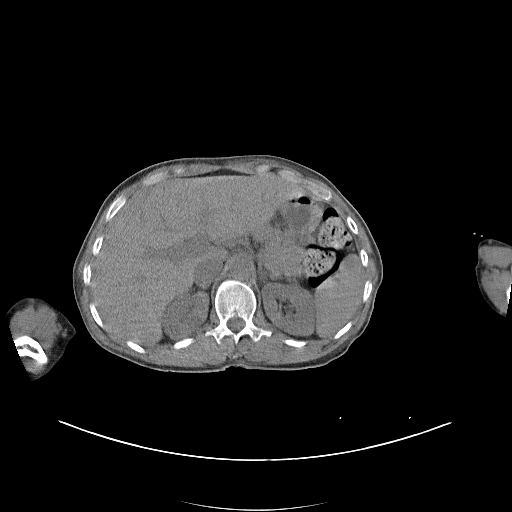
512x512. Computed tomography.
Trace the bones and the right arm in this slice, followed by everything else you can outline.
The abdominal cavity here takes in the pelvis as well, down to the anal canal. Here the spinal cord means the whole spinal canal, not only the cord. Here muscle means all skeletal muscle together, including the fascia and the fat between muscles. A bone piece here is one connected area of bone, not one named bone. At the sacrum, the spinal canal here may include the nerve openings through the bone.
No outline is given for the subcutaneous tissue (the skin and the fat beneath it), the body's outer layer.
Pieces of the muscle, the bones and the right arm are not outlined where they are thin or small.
{"bones":[{"outer":[[226,279],[239,280],[249,284],[256,297],[256,309],[252,321],[256,326],[270,330],[270,336],[263,335],[255,342],[246,334],[236,344],[227,335],[221,339],[220,343],[217,343],[212,335],[206,336],[204,334],[219,322],[214,309],[214,296],[219,284]],"hole":[[233,317],[238,317],[239,318],[241,318],[244,321],[244,326],[241,329],[240,329],[238,331],[233,331],[231,329],[230,329],[229,328],[229,327],[227,325],[227,322],[229,320],[229,319],[230,319],[231,318],[232,318]]},[[25,334],[32,337],[39,343],[39,344],[43,349],[45,354],[47,356],[48,362],[46,364],[41,364],[30,356],[27,356],[26,355],[24,356],[20,356],[19,355],[17,351],[16,346],[14,343],[14,338],[15,337],[17,337],[21,335],[24,335]],[[282,169],[290,170],[292,171],[297,177],[304,179],[308,179],[323,187],[328,188],[332,193],[331,199],[329,201],[326,201],[322,199],[317,194],[314,193],[310,189],[306,187],[297,177],[292,177],[291,176],[288,177],[282,175],[279,173],[279,171]],[[121,194],[124,194],[127,197],[127,199],[126,200],[125,203],[117,211],[117,212],[109,221],[106,221],[105,220],[105,215],[106,214],[106,213],[108,210],[108,208],[109,207],[110,204],[112,202],[112,201],[116,197],[117,197],[119,195],[120,195]],[[162,171],[168,171],[168,176],[167,177],[166,177],[164,179],[162,179],[160,181],[158,181],[155,183],[152,183],[151,184],[149,184],[148,185],[143,185],[142,182],[144,179],[145,179],[147,177],[148,177],[155,173],[157,173],[158,172],[161,172]],[[90,302],[94,302],[95,304],[95,307],[99,314],[99,316],[102,322],[105,325],[106,327],[106,329],[104,329],[100,326],[99,326],[99,325],[93,318],[92,316],[92,314],[91,313],[91,311],[90,310],[90,308],[89,307],[89,304]],[[86,263],[89,263],[91,265],[91,276],[90,277],[90,284],[89,285],[85,285],[84,284],[84,282],[83,281],[83,268],[84,267],[84,265]],[[367,279],[369,279],[371,281],[371,284],[372,285],[372,290],[371,291],[371,293],[370,294],[370,295],[369,296],[369,297],[368,298],[368,299],[365,302],[363,302],[362,301],[362,296],[363,295],[363,290],[364,289],[364,284],[365,283],[365,281]],[[188,337],[192,337],[194,339],[194,341],[189,345],[188,345],[185,347],[182,347],[181,348],[179,348],[178,349],[174,349],[172,347],[172,345],[173,344],[173,343],[174,343],[177,341],[179,341],[182,339],[184,339],[185,338],[187,338]],[[288,338],[292,338],[293,339],[295,339],[296,340],[306,340],[307,341],[307,342],[306,343],[306,344],[305,344],[302,347],[301,347],[300,348],[299,347],[295,347],[294,346],[291,346],[290,345],[288,345],[283,342],[283,339],[287,339]],[[101,234],[102,234],[103,235],[103,239],[102,240],[102,243],[101,244],[101,246],[99,249],[99,251],[98,252],[98,253],[96,255],[93,255],[93,254],[92,253],[92,246],[93,245],[93,243],[94,242],[95,239],[97,237],[97,236],[98,236]],[[126,340],[131,340],[133,342],[134,342],[135,343],[138,344],[140,346],[141,346],[143,348],[144,348],[145,349],[146,352],[145,353],[141,353],[140,352],[138,352],[137,351],[136,351],[135,350],[132,349],[130,347],[129,347],[126,344]],[[350,320],[351,320],[352,321],[352,325],[350,327],[350,328],[346,332],[345,332],[342,335],[341,335],[338,338],[337,338],[336,339],[334,339],[333,338],[333,336],[343,326],[344,326]],[[347,216],[350,216],[353,219],[353,220],[355,222],[355,223],[356,224],[356,225],[357,226],[357,227],[358,228],[358,233],[357,234],[354,234],[351,231],[351,230],[350,229],[350,228],[348,226],[348,224],[347,223],[347,222],[346,221],[346,217]]],"right_arm":[[[25,296],[38,296],[46,300],[60,310],[75,328],[75,335],[67,344],[62,357],[47,374],[36,380],[32,380],[30,378],[28,372],[25,369],[20,360],[20,356],[17,351],[14,340],[12,338],[8,326],[8,320],[6,315],[8,308],[16,301]]],"muscle":[{"outer":[[254,159],[276,160],[322,181],[361,224],[373,251],[377,280],[359,329],[323,356],[283,364],[246,359],[227,360],[213,367],[153,364],[102,341],[83,309],[76,276],[89,238],[109,204],[104,215],[109,223],[105,233],[97,235],[92,243],[93,261],[83,265],[82,281],[91,290],[93,301],[88,307],[94,321],[124,338],[132,350],[145,354],[145,348],[167,343],[174,350],[189,346],[195,341],[192,336],[210,321],[213,308],[218,322],[203,334],[212,336],[217,344],[227,336],[236,345],[246,335],[255,343],[263,336],[270,337],[270,329],[253,321],[257,304],[265,320],[287,337],[282,342],[291,347],[300,349],[307,340],[332,336],[336,340],[351,328],[360,304],[373,290],[364,269],[369,256],[363,247],[358,248],[354,235],[359,228],[354,219],[344,217],[327,202],[333,197],[328,187],[286,168],[278,173],[297,178],[305,187],[262,173],[271,168],[262,163],[254,173],[221,168],[194,176],[169,176],[168,170],[162,170],[144,178],[143,186],[129,197],[124,193],[116,196],[163,166],[219,165]],"hole":[[178,167],[182,167],[184,169],[184,171],[182,173],[173,173],[173,172],[172,171],[172,170],[174,168],[177,168]]},[[29,303],[43,303],[50,306],[57,313],[62,322],[63,329],[57,336],[55,340],[53,352],[51,358],[49,359],[49,361],[48,356],[40,343],[32,336],[25,333],[15,336],[13,339],[12,338],[8,326],[8,320],[14,312],[21,308],[24,305]],[[484,245],[502,246],[503,247],[511,248],[511,282],[507,286],[505,290],[505,298],[506,299],[507,305],[504,310],[502,311],[501,311],[489,298],[482,285],[482,282],[481,281],[481,276],[482,275],[481,272],[484,269],[485,266],[482,262],[481,247]],[[25,356],[32,358],[35,361],[36,361],[41,365],[46,365],[45,366],[44,369],[41,372],[40,372],[39,373],[36,373],[35,374],[29,374],[28,373],[28,372],[25,369],[22,362],[20,360],[20,357],[24,357]],[[309,190],[310,190],[314,194],[315,194],[316,195],[317,195],[322,200],[323,200],[321,200],[320,199],[319,199],[318,198],[317,198]]],"torso":[[[242,154],[271,154],[301,163],[328,178],[360,213],[377,244],[383,264],[383,279],[363,333],[338,358],[322,366],[297,370],[228,367],[223,371],[201,373],[159,371],[100,347],[88,333],[76,305],[72,267],[105,197],[122,180],[157,162],[180,157]]],"spinal_cord":[[[233,317],[238,317],[239,318],[241,318],[244,321],[244,326],[241,329],[240,329],[238,331],[233,331],[231,329],[230,329],[229,328],[229,327],[227,325],[227,322],[229,320],[229,319],[230,319],[231,318],[232,318]]],"abdominal_cavity":[[[221,169],[291,180],[345,218],[365,280],[357,311],[333,335],[324,339],[288,337],[266,320],[250,284],[234,278],[216,287],[209,321],[193,335],[172,343],[143,347],[110,331],[103,322],[90,285],[92,264],[110,221],[144,186],[168,177],[194,177]]],"left_arm":[[[481,235],[485,238],[494,238],[511,244],[511,292],[507,303],[507,309],[506,310],[505,316],[501,316],[499,314],[496,313],[486,303],[481,295],[478,288],[478,285],[476,281],[476,276],[475,275],[475,265],[477,262],[477,246],[478,243],[481,240]]]}